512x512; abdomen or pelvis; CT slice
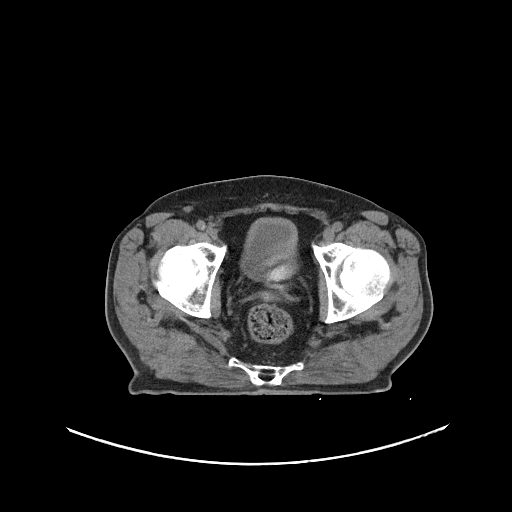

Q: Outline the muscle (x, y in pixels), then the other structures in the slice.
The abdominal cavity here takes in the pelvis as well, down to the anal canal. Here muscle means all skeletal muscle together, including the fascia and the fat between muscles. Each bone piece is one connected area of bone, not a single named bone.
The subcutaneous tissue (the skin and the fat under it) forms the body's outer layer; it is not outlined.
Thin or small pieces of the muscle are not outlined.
A: {"muscle":[[[262,202],[318,208],[332,217],[376,210],[389,215],[416,237],[420,246],[421,320],[411,339],[375,378],[362,383],[280,385],[287,374],[304,369],[301,360],[293,362],[321,322],[319,269],[311,249],[326,286],[325,324],[345,321],[367,310],[383,298],[393,280],[388,261],[376,249],[342,241],[317,244],[316,236],[322,228],[319,219],[304,211],[289,213],[270,208],[224,217],[220,245],[204,240],[170,246],[159,258],[155,278],[151,280],[158,294],[182,312],[210,319],[212,288],[222,267],[221,312],[228,321],[238,356],[232,355],[227,367],[243,370],[254,385],[228,388],[157,378],[141,361],[119,323],[114,304],[114,274],[124,235],[151,212],[182,212],[205,217]]],"abdominal_cavity":[[[267,209],[289,214],[304,212],[321,222],[315,243],[311,243],[310,249],[311,257],[318,269],[320,322],[307,338],[297,357],[284,365],[251,363],[241,359],[234,347],[229,321],[222,312],[221,265],[228,250],[220,236],[222,220],[238,214],[263,212]]],"bones":[[[332,242],[342,242],[354,247],[370,248],[376,250],[387,261],[390,269],[390,276],[392,282],[384,290],[382,298],[367,309],[345,320],[336,321],[332,323],[325,323],[324,320],[327,314],[328,303],[327,286],[324,273],[314,255],[312,243],[321,246]],[[204,241],[219,246],[223,244],[225,244],[227,246],[227,250],[221,264],[217,270],[211,288],[210,296],[211,317],[210,318],[196,317],[182,311],[162,297],[152,282],[152,280],[156,278],[156,270],[160,258],[167,249],[177,244],[187,245],[195,242]],[[232,356],[234,356],[246,363],[272,365],[273,366],[284,366],[301,361],[304,364],[304,367],[301,370],[292,370],[287,373],[282,378],[281,383],[279,385],[268,385],[267,384],[255,385],[251,382],[249,375],[243,369],[239,367],[228,367],[228,361]]],"torso":[[[260,174],[302,178],[349,191],[396,213],[413,226],[426,245],[427,272],[433,297],[433,315],[425,336],[393,373],[390,388],[381,392],[351,395],[132,395],[127,386],[133,371],[112,338],[105,318],[106,272],[113,240],[150,203],[166,193],[204,182]]]}